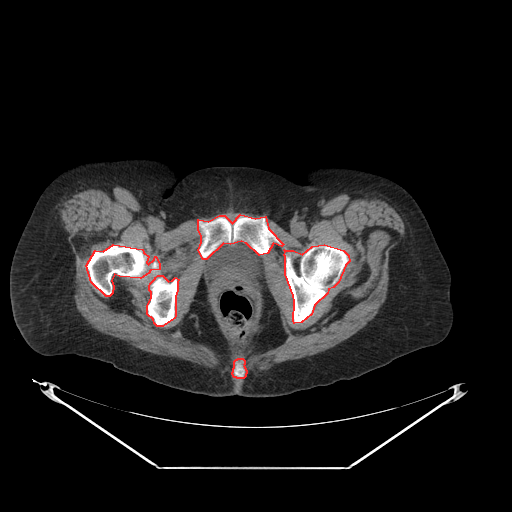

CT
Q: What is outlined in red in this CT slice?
A: red: bones.
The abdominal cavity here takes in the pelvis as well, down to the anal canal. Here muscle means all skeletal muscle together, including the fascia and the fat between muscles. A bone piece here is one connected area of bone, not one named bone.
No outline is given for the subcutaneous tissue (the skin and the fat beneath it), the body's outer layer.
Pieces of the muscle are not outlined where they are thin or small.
bones 1: 324 244; 343 250; 348 255; 349 261; 345 265; 338 282; 333 287; 328 289; 327 293; 314 305; 311 314; 301 322; 294 323; 293 321; 294 301; 293 295; 285 274; 285 256; 284 255; 285 251; 284 250; 293 250; 302 254; 312 246
bones 2: 240 214; 255 218; 265 216; 268 228; 283 244; 281 246; 273 243; 267 253; 259 255; 246 243; 241 241; 230 244; 223 243; 206 259; 203 259; 198 250; 201 242; 201 236; 198 229; 198 219; 208 221; 219 215; 224 215; 232 223
bones 3: 113 244; 142 249; 143 252; 148 256; 146 262; 148 264; 154 259; 155 256; 159 263; 159 269; 150 270; 148 273; 140 278; 119 276; 114 274; 111 280; 113 286; 112 293; 109 296; 106 296; 91 282; 86 265; 95 250; 103 251
bones 4: 158 275; 162 275; 168 281; 172 280; 175 277; 178 279; 177 282; 177 290; 175 296; 175 315; 174 318; 162 326; 157 326; 154 323; 153 319; 147 314; 147 305; 151 298; 151 292; 149 290; 149 286; 150 283; 155 278; 155 277
bones 5: 238 358; 242 358; 244 360; 244 364; 243 365; 244 366; 244 367; 246 370; 246 373; 245 374; 245 376; 243 378; 237 378; 236 377; 234 377; 232 374; 232 372; 233 371; 233 368; 234 367; 234 361; 236 359; 237 359
torso: 140 158; 166 162; 179 176; 210 166; 249 166; 300 182; 308 168; 340 166; 396 182; 419 205; 449 268; 454 319; 448 335; 435 345; 355 378; 274 397; 192 393; 96 359; 35 352; 13 319; 9 271; 37 199; 55 177; 74 166
abdominal cavity: 237 242; 241 242; 246 244; 259 256; 262 256; 260 258; 259 277; 256 289; 255 317; 249 332; 243 340; 233 337; 223 319; 219 314; 216 308; 214 291; 210 276; 204 263; 205 262; 204 260; 206 260; 212 253; 223 244; 230 245
muscle: 107 184; 127 189; 146 212; 159 215; 173 228; 187 220; 230 209; 263 215; 240 213; 232 222; 224 214; 208 220; 197 219; 200 236; 197 250; 209 276; 215 308; 234 339; 243 341; 254 323; 261 258; 273 244; 284 244; 269 228; 267 218; 289 228; 341 193; 384 196; 405 224; 403 236; 389 254; 386 298; 373 319; 342 342; 278 363; 240 385; 217 369; 141 350; 91 327; 75 305; 75 258; 59 210; 73 194, around holes outlined by 324 244; 343 250; 348 255; 349 261; 345 265; 338 282; 333 287; 328 289; 327 293; 314 305; 311 314; 301 322; 294 323; 293 321; 294 301; 293 295; 285 274; 285 256; 284 255; 285 251; 284 250; 293 250; 302 254; 312 246 and by 113 244; 142 249; 143 252; 148 256; 146 262; 148 264; 154 259; 155 256; 159 263; 159 269; 150 270; 148 273; 140 278; 119 276; 114 274; 111 280; 113 286; 112 293; 109 296; 106 296; 91 282; 86 265; 95 250; 103 251 and by 202 272; 205 279; 206 296; 207 303; 209 305; 209 310; 213 315; 215 322; 217 324; 217 327; 227 344; 228 352; 223 354; 218 352; 209 345; 190 337; 184 332; 182 327; 184 323; 184 318; 189 313; 191 305; 195 301; 196 291 and by 158 275; 162 275; 168 281; 172 280; 175 277; 178 279; 177 282; 177 290; 175 296; 175 315; 174 318; 162 326; 157 326; 154 323; 153 319; 147 314; 147 305; 151 298; 151 292; 149 290; 149 286; 150 283; 155 278; 155 277 and by 268 289; 269 289; 272 295; 272 298; 278 311; 278 314; 281 321; 283 330; 287 336; 282 342; 262 349; 257 344; 256 342; 256 338; 260 335; 261 331; 263 328; 262 326; 262 321; 263 320; 264 299; 265 298; 264 297; 264 291 and by 238 358; 242 358; 244 360; 244 364; 243 365; 244 366; 244 367; 246 370; 246 373; 245 374; 245 376; 243 378; 237 378; 236 377; 234 377; 232 374; 232 372; 233 371; 233 368; 234 367; 234 361; 236 359; 237 359